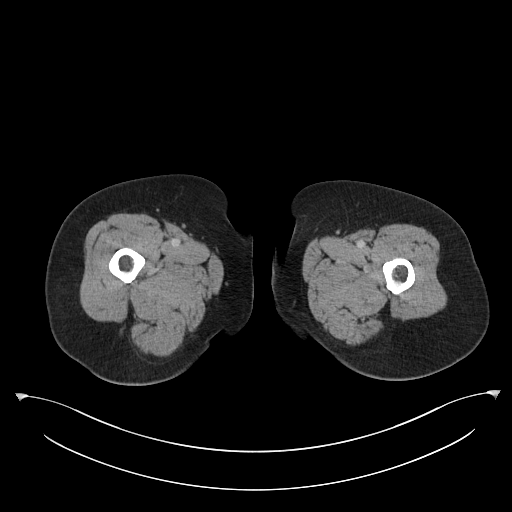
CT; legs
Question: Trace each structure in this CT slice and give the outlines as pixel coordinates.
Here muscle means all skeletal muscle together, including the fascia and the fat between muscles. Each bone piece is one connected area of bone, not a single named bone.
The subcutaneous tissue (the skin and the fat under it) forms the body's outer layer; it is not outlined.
Answer: Outlines (x, y in pixels):
left leg: 338,179 375,183 419,196 445,210 462,227 483,277 490,307 486,333 465,358 424,377 399,381 376,379 344,366 315,341 301,340 280,319 271,288 271,270 275,248 281,258 284,255 293,229 290,202 309,184
muscle 1: 128,209 142,210 175,222 194,238 216,251 223,262 224,278 221,289 207,306 192,342 183,352 169,359 148,362 138,358 130,345 120,337 113,323 91,319 79,302 79,285 84,268 83,245 89,228 112,213 with a hole at 122,247 130,247 132,248 141,254 145,259 145,263 144,265 139,271 136,277 129,283 125,283 123,282 120,279 112,274 110,272 109,268 108,267 108,263 109,262 109,260 114,252 116,250
muscle 2: 391,223 410,223 422,226 437,238 440,244 437,277 447,294 447,304 442,310 429,317 398,323 382,351 368,353 342,346 326,337 309,310 307,288 301,273 304,250 308,242 316,236 327,234 341,236 360,228; inner edge: 395,257 403,257 409,260 413,266 414,272 415,273 415,279 412,285 410,287 404,290 399,294 394,294 392,293 386,287 386,282 385,281 385,278 384,277 384,275 382,271 382,266 384,262 388,260 390,260
bones 1: 122,247 130,247 132,248 141,254 145,259 145,263 144,265 139,271 136,277 129,283 125,283 123,282 120,279 112,274 110,272 109,268 108,267 108,263 109,262 109,260 114,252 116,250
bones 2: 395,257 403,257 409,260 413,266 414,272 415,273 415,279 412,285 410,287 404,290 399,294 394,294 392,293 386,287 386,282 385,281 385,278 384,277 384,275 382,271 382,266 384,262 388,260 390,260
right leg: 171,173 197,175 217,184 227,196 227,215 235,228 242,232 250,230 254,256 252,311 239,331 227,336 216,335 205,353 180,375 150,385 112,383 69,357 52,336 44,295 50,249 65,217 88,195 118,182